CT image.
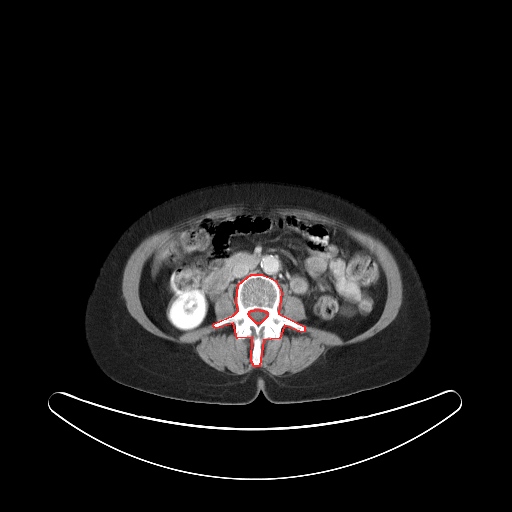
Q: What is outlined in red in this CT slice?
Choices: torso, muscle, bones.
A: red: bones.
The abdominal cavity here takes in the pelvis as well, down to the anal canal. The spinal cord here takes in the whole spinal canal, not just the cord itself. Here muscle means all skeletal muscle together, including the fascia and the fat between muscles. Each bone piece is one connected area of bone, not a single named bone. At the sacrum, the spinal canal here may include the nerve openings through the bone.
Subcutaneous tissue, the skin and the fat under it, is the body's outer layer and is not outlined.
Outlined structures:
bones: 251 274; 262 274; 275 280; 281 292; 278 313; 304 326; 304 331; 301 332; 284 325; 279 338; 263 340; 259 366; 254 366; 251 361; 252 337; 237 338; 233 323; 216 328; 213 326; 214 323; 233 315; 238 310; 236 301; 238 284 with a hole at 255 309; 259 309; 260 310; 263 310; 264 311; 266 311; 267 312; 267 316; 260 323; 259 323; 258 324; 257 323; 256 323; 249 316; 249 315; 248 314; 248 313; 249 312; 249 311; 250 311; 251 310; 254 310
abdominal cavity: 267 211; 335 227; 375 256; 385 276; 386 296; 371 326; 343 339; 308 325; 302 300; 286 285; 281 291; 275 279; 262 273; 243 277; 235 297; 236 283; 229 284; 217 299; 213 323; 173 335; 150 319; 140 282; 160 245; 205 218
spinal cord: 255 309; 259 309; 260 310; 263 310; 264 311; 266 311; 267 312; 267 316; 260 323; 259 323; 258 324; 257 323; 256 323; 249 316; 249 315; 248 314; 248 313; 249 312; 249 311; 250 311; 251 310; 254 310
muscle 1: 224 206; 236 206; 237 207; 243 206; 245 208; 252 207; 253 208; 262 208; 263 209; 270 209; 277 207; 303 208; 335 218; 358 230; 368 233; 379 239; 388 248; 393 255; 398 265; 401 275; 402 288; 403 289; 402 291; 402 303; 396 317; 386 327; 373 336; 356 343; 332 347; 305 369; 297 373; 284 377; 271 376; 267 372; 259 367; 256 367; 250 372; 241 375; 227 374; 221 371; 218 371; 205 363; 189 345; 179 344; 161 338; 149 332; 129 313; 127 310; 125 301; 122 295; 121 283; 122 282; 123 270; 129 256; 140 242; 149 235; 157 231; 170 227; 192 216; 205 213; 209 210; 220 208; inner edge: 267 211; 335 227; 375 256; 386 296; 371 326; 343 339; 308 325; 304 303; 283 285; 277 311; 304 331; 284 325; 279 338; 262 341; 261 364; 254 366; 253 338; 237 338; 233 323; 173 335; 150 319; 140 282; 160 245; 205 218
muscle 2: 235 283; 235 286; 232 289; 233 290; 233 293; 234 294; 234 297; 236 302; 237 310; 233 314; 223 317; 217 321; 216 320; 216 315; 214 310; 216 307; 218 299; 222 294; 226 292; 229 289; 229 286; 230 284; 234 284
torso: 234 178; 273 178; 318 186; 361 204; 393 231; 417 267; 433 320; 428 350; 411 373; 379 387; 332 399; 273 403; 260 392; 250 403; 226 405; 155 395; 118 383; 101 371; 84 339; 83 316; 111 245; 132 220; 156 202; 192 186